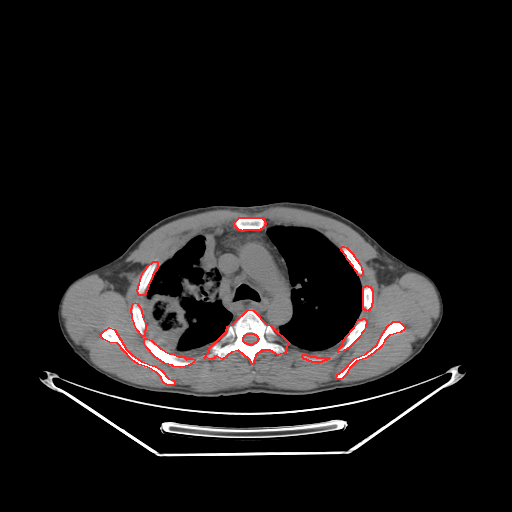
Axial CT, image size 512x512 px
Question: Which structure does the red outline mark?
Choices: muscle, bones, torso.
Answer: red: bones.
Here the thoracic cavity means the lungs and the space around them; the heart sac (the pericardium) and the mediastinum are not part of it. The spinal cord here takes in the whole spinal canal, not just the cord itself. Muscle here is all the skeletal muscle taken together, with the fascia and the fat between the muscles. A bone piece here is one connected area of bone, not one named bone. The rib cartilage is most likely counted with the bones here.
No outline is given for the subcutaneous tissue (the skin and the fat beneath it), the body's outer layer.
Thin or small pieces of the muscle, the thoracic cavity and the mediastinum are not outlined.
The bones appear in 11 outlined pieces: piece 1: (248, 309) (253, 310) (266, 324) (270, 325) (289, 343) (286, 346) (285, 352) (278, 355) (270, 350) (261, 350) (255, 355) (252, 364) (249, 359) (238, 350) (231, 352) (222, 359) (216, 356) (211, 359) (204, 357) (209, 351) (209, 348) (226, 331) (227, 326) (233, 323); inner edge: (247, 333) (253, 333) (254, 334) (255, 334) (257, 336) (257, 337) (258, 338) (258, 339) (257, 340) (257, 341) (255, 343) (254, 343) (251, 345) (250, 345) (249, 344) (247, 344) (246, 343) (245, 343) (243, 341) (243, 337) (244, 336) (244, 335); piece 2: (109, 327) (114, 329) (126, 349) (131, 354) (141, 361) (155, 366) (161, 370) (168, 378) (173, 380) (175, 383) (172, 385) (167, 385) (163, 382) (161, 377) (156, 372) (147, 367) (138, 364) (131, 359) (117, 343) (109, 342) (103, 339) (100, 335) (103, 331); piece 3: (145, 338) (147, 338) (151, 340) (160, 348) (169, 353) (172, 353) (178, 356) (183, 356) (186, 359) (188, 358) (192, 358) (194, 359) (194, 360) (193, 362) (190, 364) (183, 367) (173, 366) (172, 365) (164, 363) (154, 356) (146, 347) (144, 343) (144, 339); piece 4: (393, 321) (398, 321) (401, 323) (403, 325) (404, 329) (400, 332) (389, 335) (384, 340) (381, 346) (373, 353) (365, 358) (356, 361) (349, 368) (345, 375) (342, 378) (340, 379) (336, 379) (337, 374) (342, 371) (354, 358) (366, 353) (377, 344) (381, 335) (387, 326); piece 5: (239, 217) (261, 217) (262, 218) (263, 218) (263, 219) (264, 220) (264, 221) (265, 222) (265, 224) (264, 225) (264, 226) (261, 229) (260, 229) (259, 230) (243, 230) (242, 231) (241, 230) (239, 230) (237, 228) (236, 228) (236, 227) (235, 226) (234, 226) (234, 222); piece 6: (363, 318) (364, 318) (366, 320) (366, 324) (365, 325) (365, 327) (363, 331) (361, 333) (359, 337) (348, 348) (347, 348) (343, 351) (338, 352) (337, 351) (338, 349) (343, 344) (342, 342) (342, 340) (343, 340) (345, 338) (345, 337) (354, 327) (358, 319) (362, 319); piece 7: (153, 261) (156, 261) (157, 262) (157, 268) (152, 275) (152, 277) (148, 284) (148, 286) (147, 287) (147, 289) (146, 290) (145, 294) (144, 295) (139, 295) (138, 294) (137, 289) (138, 288) (138, 285) (139, 284) (141, 276) (144, 270) (146, 268) (146, 267); piece 8: (135, 302) (137, 303) (137, 304) (139, 306) (141, 310) (142, 317) (145, 323) (145, 330) (144, 331) (144, 336) (142, 336) (139, 333) (139, 332) (137, 330) (134, 324) (134, 322) (132, 318) (132, 314) (131, 313) (131, 308) (132, 307) (132, 305) (133, 303); piece 9: (342, 246) (344, 246) (346, 247) (353, 254) (353, 255) (359, 263) (361, 267) (361, 269) (362, 270) (362, 274) (360, 276) (358, 275) (357, 272) (355, 270) (353, 266) (350, 263) (350, 262) (347, 259) (346, 256) (341, 250) (341, 247); piece 10: (366, 285) (367, 285) (368, 286) (370, 286) (370, 287) (371, 288) (371, 289) (372, 290) (372, 303) (371, 304) (371, 307) (369, 309) (369, 310) (368, 310) (367, 311) (366, 310) (365, 310) (364, 309) (363, 309) (363, 287) (364, 286) (365, 286); piece 11: (303, 354) (306, 354) (307, 355) (309, 355) (310, 356) (315, 356) (316, 357) (328, 357) (329, 358) (328, 358) (326, 360) (324, 360) (323, 361) (322, 361) (321, 362) (312, 362) (311, 361) (309, 361) (308, 360) (307, 360) (306, 359) (304, 359) (302, 357) (302, 355). The thoracic cavity appears in 2 outlined pieces: piece 1: (282, 224) (310, 228) (325, 236) (342, 252) (359, 277) (362, 287) (362, 308) (359, 316) (344, 338) (326, 349) (309, 350) (300, 348) (290, 343) (277, 332) (281, 326) (290, 321) (293, 315) (291, 291) (294, 287) (290, 281) (288, 267) (282, 254) (267, 233) (269, 228); piece 2: (207, 232) (213, 234) (214, 265) (221, 279) (221, 301) (232, 314) (232, 319) (234, 321) (226, 326) (225, 331) (203, 353) (186, 358) (183, 355) (178, 355) (163, 349) (152, 340) (146, 329) (142, 306) (149, 284) (158, 268) (171, 258) (173, 254) (188, 240) (198, 234). The muscle is outlined by (276, 206) (321, 214) (356, 231) (379, 254) (380, 257) (370, 259) (368, 265) (375, 270) (380, 285) (388, 285) (406, 272) (417, 273) (432, 284) (439, 302) (438, 316) (399, 364) (364, 379) (311, 389) (255, 384) (203, 392) (186, 387) (148, 386) (122, 379) (94, 364) (88, 351) (70, 337) (61, 312) (69, 289) (79, 280) (97, 274) (110, 284) (110, 289) (124, 295) (142, 270) (139, 263) (126, 261) (127, 257) (159, 227) (211, 210) (254, 213); inner edges: (239, 217) (310, 228) (353, 254) (362, 270) (361, 286) (372, 290) (372, 303) (369, 310) (361, 309) (358, 318) (366, 324) (348, 348) (337, 351) (341, 340) (322, 350) (290, 343) (280, 355) (259, 351) (252, 364) (238, 350) (209, 359) (203, 356) (207, 349) (183, 367) (150, 352) (144, 339) (152, 338) (146, 329) (144, 336) (139, 333) (131, 313) (133, 303) (141, 310) (146, 297) (137, 291) (144, 270) (153, 261) (158, 268) (194, 236) (233, 226), then (109, 327) (114, 329) (126, 349) (131, 354) (141, 361) (155, 366) (161, 370) (168, 378) (173, 380) (175, 383) (172, 385) (167, 385) (163, 382) (161, 377) (156, 372) (147, 367) (138, 364) (131, 359) (117, 343) (109, 342) (103, 339) (100, 335) (103, 331), then (393, 321) (398, 321) (401, 323) (403, 325) (404, 329) (400, 332) (389, 335) (384, 340) (381, 346) (373, 353) (365, 358) (356, 361) (349, 368) (345, 375) (342, 378) (340, 379) (336, 379) (337, 374) (342, 371) (354, 358) (366, 353) (377, 344) (381, 335) (387, 326), then (303, 354) (306, 354) (307, 355) (309, 355) (310, 356) (315, 356) (316, 357) (328, 357) (329, 358) (328, 358) (326, 360) (324, 360) (323, 361) (322, 361) (321, 362) (312, 362) (311, 361) (309, 361) (308, 360) (307, 360) (306, 359) (304, 359) (302, 357) (302, 355). The mediastinum is outlined by (267, 223) (281, 224) (269, 227) (266, 233) (284, 259) (293, 287) (290, 291) (291, 318) (281, 325) (278, 331) (251, 308) (245, 309) (233, 319) (233, 314) (222, 301) (222, 279) (215, 265) (214, 234) (211, 231) (204, 232) (224, 226) (233, 226) (242, 232) (259, 231). The spinal cord is outlined by (247, 333) (253, 333) (254, 334) (255, 334) (257, 336) (257, 337) (258, 338) (258, 339) (257, 340) (257, 341) (255, 343) (254, 343) (251, 345) (250, 345) (249, 344) (247, 344) (246, 343) (245, 343) (243, 341) (243, 337) (244, 336) (244, 335). The torso is outlined by (278, 201) (312, 204) (340, 214) (435, 282) (443, 301) (441, 322) (422, 350) (395, 372) (363, 385) (307, 395) (246, 393) (196, 397) (147, 391) (114, 381) (88, 366) (65, 340) (58, 324) (57, 308) (66, 287) (84, 273) (121, 255) (159, 220) (202, 206) (251, 206).